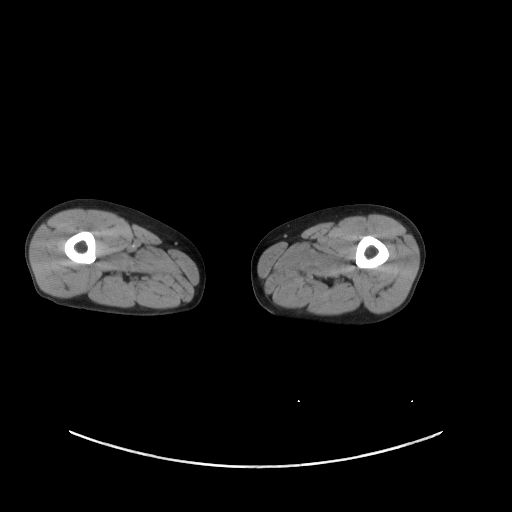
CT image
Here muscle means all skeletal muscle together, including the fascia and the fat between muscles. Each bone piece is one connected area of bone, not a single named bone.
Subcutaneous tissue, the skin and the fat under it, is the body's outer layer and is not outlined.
{"bones":[[[364,235],[372,235],[374,236],[376,238],[382,241],[385,244],[385,245],[388,249],[388,251],[389,252],[389,256],[386,260],[386,261],[375,268],[360,268],[358,267],[355,263],[355,252],[356,251],[356,245],[359,241],[359,240],[361,238],[361,237]],[[79,231],[88,231],[89,232],[92,232],[95,238],[95,241],[96,242],[96,258],[95,260],[90,264],[81,264],[80,263],[76,263],[72,260],[71,260],[65,254],[64,252],[64,243],[65,241],[70,236],[71,236],[73,234],[75,234],[77,233]]],"left_leg":[[[354,203],[373,203],[391,207],[407,216],[418,228],[425,244],[426,257],[422,274],[409,303],[400,312],[388,319],[377,323],[360,326],[336,325],[280,317],[265,310],[255,298],[250,277],[250,261],[254,249],[259,241],[270,230],[286,221],[322,208]]],"right_leg":[[[82,197],[98,198],[129,206],[158,219],[185,235],[198,249],[205,266],[205,288],[203,296],[198,305],[190,311],[175,314],[159,316],[130,316],[59,306],[39,296],[34,289],[24,258],[24,242],[26,235],[34,221],[45,210],[60,202],[73,198]]],"muscle":[{"outer":[[77,207],[94,208],[114,212],[178,241],[192,255],[199,269],[200,283],[198,290],[192,299],[177,307],[165,309],[154,309],[140,306],[123,308],[102,305],[83,298],[59,298],[41,290],[36,281],[29,260],[29,244],[31,238],[45,217],[66,208]],"hole":[[79,231],[88,231],[89,232],[92,232],[95,238],[95,241],[96,242],[96,258],[95,260],[90,264],[81,264],[80,263],[76,263],[72,260],[71,260],[65,254],[64,252],[64,243],[65,241],[70,236],[71,236],[73,234],[75,234],[77,233]]},{"outer":[[363,213],[380,213],[396,219],[408,228],[418,245],[420,261],[417,273],[407,296],[397,307],[381,314],[358,311],[345,315],[319,315],[310,313],[301,308],[283,309],[269,302],[257,273],[257,264],[265,249],[274,243],[315,224],[333,218]],"hole":[[364,235],[372,235],[374,236],[376,238],[382,241],[385,244],[385,245],[388,249],[388,251],[389,252],[389,256],[386,260],[386,261],[375,268],[360,268],[358,267],[355,263],[355,252],[356,251],[356,245],[359,241],[359,240],[361,238],[361,237]]}]}